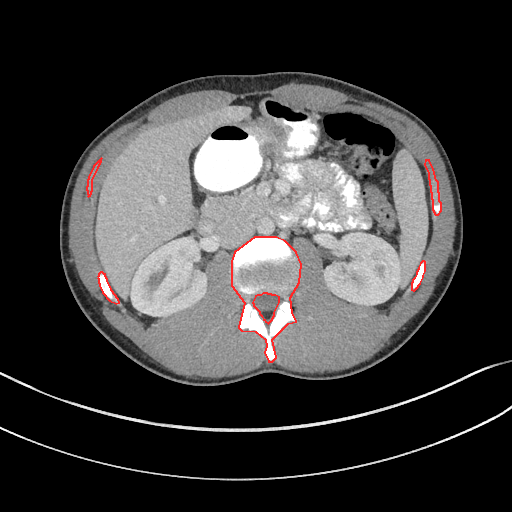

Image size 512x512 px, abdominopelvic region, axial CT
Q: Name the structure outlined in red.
A: red: bones.
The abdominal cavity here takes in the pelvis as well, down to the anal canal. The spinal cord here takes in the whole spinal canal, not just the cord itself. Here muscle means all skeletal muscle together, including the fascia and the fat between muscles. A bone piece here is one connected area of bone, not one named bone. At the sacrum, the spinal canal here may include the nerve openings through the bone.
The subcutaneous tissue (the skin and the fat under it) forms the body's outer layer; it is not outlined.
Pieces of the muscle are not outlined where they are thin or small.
The bones appear in 5 outlined pieces: piece 1: 268,361 272,361 276,357 272,339 288,323 296,321 292,312 290,297 299,282 301,264 296,252 285,241 276,237 254,237 234,252 231,261 231,285 244,302 238,327 241,330 255,331 265,339 266,346 264,352; inner edge: 268,323 271,320 274,315 274,312 279,302 279,297 275,295 272,295 271,294 268,294 267,293 263,293 260,295 257,295 255,296 252,302 253,303 253,305 259,311 259,313 261,315 263,319 264,319 265,321; piece 2: 435,214 438,214 441,210 441,203 439,201 439,193 438,192 438,182 436,180 433,169 429,160 425,160 424,164 428,173 428,178 429,179 429,184 430,185 430,191 431,192 431,198 432,199 432,209; piece 3: 116,303 119,302 118,299 111,290 111,288 107,281 107,279 105,276 105,274 104,274 102,272 100,272 98,274 98,276 97,277 98,278 98,282 99,283 99,285 102,292 109,300; piece 4: 413,290 414,290 418,286 418,285 420,283 423,277 423,275 425,271 425,262 424,261 422,261 420,263 418,267 418,269 416,272 416,274 414,278 412,280 412,282 411,283 411,289; piece 5: 88,196 89,195 90,195 90,194 91,193 91,191 92,190 92,179 98,168 98,166 101,161 101,158 93,166 93,167 88,176 88,179 87,180 87,186 86,187 86,189 87,190 87,193 88,194. The abdominal cavity is outlined by 145,319 169,316 205,296 206,267 214,253 232,255 254,236 276,236 292,247 295,237 307,238 333,296 387,309 409,286 431,239 424,166 373,117 325,112 271,95 238,98 142,132 104,178 94,239 112,290. The muscle is outlined by 190,378 221,378 239,375 256,369 267,362 302,373 334,372 348,369 364,362 376,353 393,334 423,307 432,294 453,247 455,224 453,195 444,162 435,144 421,127 404,114 382,104 324,86 289,83 272,89 245,92 204,89 177,95 154,106 134,120 122,124 104,137 91,150 76,178 69,212 69,250 78,276 104,318 113,328 132,341 165,369 with holes at 268,361 272,339 296,321 295,237 316,248 333,296 387,309 420,283 441,203 429,160 423,165 377,119 254,95 142,132 104,178 94,239 102,292 145,319 205,296 208,263 229,252 244,302 238,327 265,339 and at 88,196 89,195 90,195 90,194 91,193 91,191 92,190 92,179 98,168 98,166 101,161 101,158 93,166 93,167 88,176 88,179 87,180 87,186 86,187 86,189 87,190 87,193 88,194. The spinal cord is outlined by 268,323 271,320 274,315 274,312 279,302 279,297 275,295 272,295 271,294 268,294 267,293 263,293 260,295 257,295 255,296 252,302 253,303 253,305 259,311 259,313 261,315 263,319 264,319 265,321. The torso is outlined by 192,386 225,385 264,373 306,380 347,379 391,356 422,326 456,271 463,214 449,157 421,118 375,92 321,74 217,74 156,92 114,120 86,146 69,176 59,220 60,258 70,291 90,323 121,353 153,374.